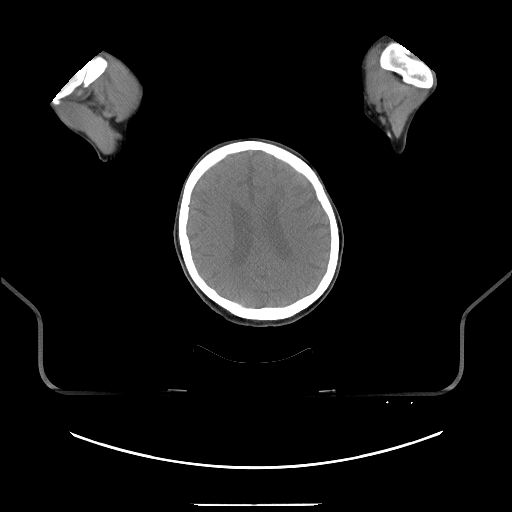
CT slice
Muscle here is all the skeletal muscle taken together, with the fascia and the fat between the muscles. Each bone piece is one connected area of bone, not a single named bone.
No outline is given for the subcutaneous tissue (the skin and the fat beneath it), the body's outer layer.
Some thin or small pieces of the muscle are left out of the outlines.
Outlines:
brain: (246, 151) (261, 151) (284, 162) (296, 172) (301, 174) (313, 188) (315, 197) (328, 221) (329, 250) (323, 274) (312, 291) (285, 305) (265, 305) (260, 307) (246, 306) (221, 295) (202, 277) (193, 258) (190, 239) (187, 232) (193, 190) (200, 178) (214, 165) (228, 155)
left arm: (382, 35) (390, 37) (394, 41) (398, 42) (411, 51) (435, 72) (438, 81) (435, 91) (421, 105) (415, 114) (407, 133) (405, 148) (400, 155) (395, 155) (393, 153) (390, 146) (390, 142) (384, 132) (367, 117) (363, 110) (362, 88) (360, 82) (360, 63) (368, 47)
right arm: (103, 50) (108, 51) (125, 62) (138, 76) (143, 85) (145, 92) (143, 103) (139, 112) (128, 124) (126, 143) (116, 157) (108, 161) (102, 161) (99, 159) (92, 146) (64, 125) (50, 107) (50, 104) (52, 102) (52, 100) (68, 80) (90, 59) (94, 56) (96, 56)
muscle 1: (102, 55) (108, 55) (119, 62) (134, 78) (139, 89) (139, 95) (135, 106) (122, 125) (121, 138) (114, 150) (110, 153) (102, 152) (83, 132) (71, 126) (60, 115) (55, 106) (60, 103) (61, 99) (70, 95) (78, 87) (88, 87) (106, 70) (108, 67) (108, 61)
muscle 2: (387, 38) (392, 40) (380, 52) (378, 58) (379, 66) (383, 70) (390, 71) (399, 75) (402, 81) (406, 84) (421, 89) (429, 89) (423, 99) (408, 116) (403, 130) (397, 139) (394, 138) (380, 123) (376, 113) (367, 102) (365, 69) (366, 59) (370, 51) (378, 43)
head: (252, 136) (276, 140) (300, 152) (319, 173) (338, 209) (343, 225) (344, 251) (341, 269) (333, 288) (310, 313) (293, 323) (282, 326) (239, 325) (224, 319) (213, 311) (200, 299) (187, 281) (173, 243) (172, 229) (176, 202) (181, 186) (196, 160) (204, 151) (218, 142)
bones 1: (238, 140) (269, 142) (292, 152) (305, 161) (321, 181) (336, 218) (339, 234) (339, 251) (334, 275) (325, 291) (313, 303) (287, 318) (255, 320) (232, 314) (210, 299) (196, 285) (188, 273) (182, 257) (178, 240) (178, 215) (186, 178) (195, 164) (208, 152) (219, 146), around a hole outlined by (246, 151) (261, 151) (284, 162) (296, 172) (301, 174) (313, 188) (315, 197) (328, 221) (329, 250) (323, 274) (312, 291) (285, 305) (265, 305) (260, 307) (246, 306) (221, 295) (202, 277) (193, 258) (190, 239) (187, 232) (193, 190) (200, 178) (214, 165) (228, 155)
bones 2: (392, 41) (398, 42) (400, 44) (403, 45) (423, 61) (433, 71) (433, 77) (434, 78) (433, 80) (433, 85) (430, 88) (421, 88) (406, 83) (403, 81) (402, 77) (399, 74) (390, 70) (383, 69) (380, 66) (379, 58) (381, 52) (383, 49)
bones 3: (97, 55) (101, 56) (107, 61) (107, 67) (105, 70) (95, 80) (90, 83) (88, 86) (86, 87) (83, 87) (82, 85) (78, 86) (70, 94) (61, 98) (59, 100) (59, 103) (58, 104) (53, 104) (52, 103) (52, 100) (56, 94) (68, 81) (68, 80) (90, 59)